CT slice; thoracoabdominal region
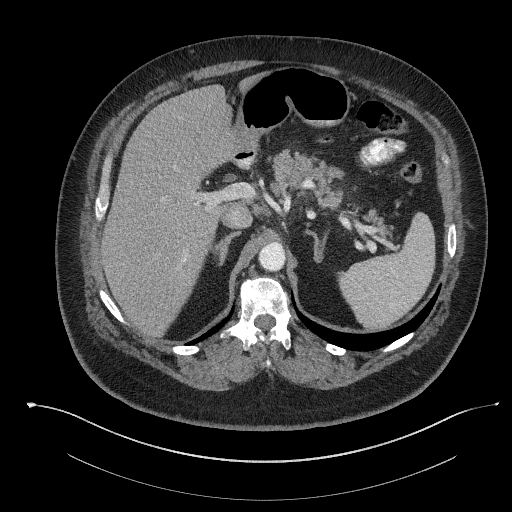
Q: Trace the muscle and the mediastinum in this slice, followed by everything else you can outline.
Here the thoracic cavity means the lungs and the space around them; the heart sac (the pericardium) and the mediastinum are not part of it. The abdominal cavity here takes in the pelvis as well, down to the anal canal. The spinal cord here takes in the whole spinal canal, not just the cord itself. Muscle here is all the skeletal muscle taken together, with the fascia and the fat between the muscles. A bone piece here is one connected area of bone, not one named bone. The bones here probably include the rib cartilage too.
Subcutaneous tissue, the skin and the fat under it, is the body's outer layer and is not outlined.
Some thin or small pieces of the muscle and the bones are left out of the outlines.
A: The muscle appears in 2 outlined pieces: piece 1: [[210,391],[230,390],[253,378],[267,368],[269,368],[277,375],[290,382],[310,388],[327,390],[346,386],[374,372],[379,371],[384,367],[409,355],[413,351],[420,348],[427,343],[436,335],[439,328],[444,323],[444,321],[449,315],[450,297],[452,290],[454,288],[455,282],[459,275],[459,262],[461,260],[464,252],[464,241],[465,240],[464,223],[465,220],[464,214],[462,211],[463,204],[461,193],[462,191],[462,176],[456,144],[448,130],[433,114],[424,110],[412,100],[392,89],[376,83],[370,79],[367,79],[350,72],[344,71],[333,66],[317,63],[300,62],[293,60],[244,59],[208,65],[198,69],[191,70],[174,79],[168,80],[148,91],[136,100],[127,104],[108,121],[96,138],[88,161],[86,168],[86,191],[84,194],[83,206],[80,211],[80,218],[79,219],[80,220],[79,253],[80,260],[82,263],[82,270],[84,278],[83,288],[87,319],[95,330],[96,334],[104,340],[109,342],[117,349],[129,354],[143,362],[148,363],[153,367],[189,386],[202,390],[209,390]] with holes at [[182,355],[196,353],[195,344],[218,331],[220,338],[239,338],[244,350],[272,340],[289,349],[290,300],[302,323],[334,355],[379,347],[388,352],[405,344],[430,311],[447,256],[453,257],[456,248],[455,224],[445,225],[437,188],[435,143],[426,129],[353,82],[283,64],[200,80],[143,111],[122,138],[114,166],[111,149],[101,168],[94,212],[99,222],[105,217],[100,256],[110,294],[98,292],[120,322],[171,343]] and at [[447,170],[449,168],[449,165],[450,164],[450,161],[449,160],[449,157],[447,155],[447,154],[444,151],[442,151],[441,152],[441,160],[442,161],[442,162],[443,163],[443,164],[444,165],[444,167],[445,168],[445,169],[446,169]] and at [[267,367],[268,367],[269,367],[270,366],[270,365],[271,364],[271,363],[271,362],[271,361],[270,360],[270,359],[269,358],[268,358],[267,358],[266,359],[266,360],[265,361],[265,362],[265,363],[266,364],[266,365],[266,366]]; piece 2: [[223,327],[226,327],[227,326],[229,326],[235,323],[238,319],[238,316],[239,315],[239,299],[238,298],[238,296],[237,297],[237,300],[236,301],[236,304],[235,305],[235,311],[234,312],[234,314],[228,321],[228,322],[226,323],[226,324]]. The mediastinum is outlined by [[291,301],[291,299],[293,297],[285,268],[284,249],[280,242],[275,241],[265,246],[241,270],[236,278],[235,289],[234,290],[234,298],[238,295],[239,284],[243,279],[247,277],[253,277],[256,275],[270,275],[277,278],[281,282],[285,290],[288,293]]. The spinal cord is outlined by [[264,331],[267,331],[272,326],[274,325],[274,323],[275,322],[275,320],[274,318],[272,316],[268,314],[265,314],[264,315],[259,315],[256,318],[255,318],[255,320],[254,321],[255,323],[255,325],[257,327],[260,328]]. The thoracic cavity appears in 2 outlined pieces: piece 1: [[351,350],[371,350],[382,347],[400,336],[414,330],[430,311],[437,297],[440,285],[439,284],[426,305],[409,321],[391,330],[378,332],[374,334],[350,334],[326,328],[304,316],[296,308],[294,305],[294,301],[292,299],[295,312],[302,323],[326,341]]; piece 2: [[184,344],[195,344],[199,341],[211,335],[213,333],[217,332],[225,324],[225,323],[227,322],[227,321],[233,314],[236,297],[234,299],[234,304],[231,308],[231,310],[227,317],[224,318],[220,322],[216,324],[215,326],[212,327],[209,330],[197,338]]. The torso is outlined by [[238,431],[325,427],[389,410],[438,377],[474,316],[488,243],[486,188],[475,140],[462,112],[437,82],[383,50],[339,38],[279,34],[223,36],[172,49],[138,66],[103,97],[69,155],[58,195],[54,261],[59,309],[78,362],[98,386],[137,410]]. The bones appear in 7 outlined pieces: piece 1: [[244,350],[248,350],[258,341],[267,344],[272,340],[277,340],[286,349],[291,346],[288,328],[292,317],[288,307],[289,298],[280,282],[273,277],[256,276],[242,281],[239,288],[239,319],[235,324],[223,328],[219,332],[220,338],[228,336],[239,338]], around a hole outlined by [[264,331],[267,331],[272,326],[274,325],[274,323],[275,322],[275,320],[274,318],[272,316],[268,314],[265,314],[264,315],[259,315],[256,318],[255,318],[255,320],[254,321],[255,323],[255,325],[257,327],[260,328]]; piece 2: [[99,222],[103,219],[105,211],[108,205],[108,196],[109,195],[109,183],[108,181],[109,180],[109,174],[111,170],[111,165],[112,164],[112,149],[107,153],[103,161],[103,164],[101,168],[101,176],[100,177],[98,194],[96,197],[94,205],[95,218]]; piece 3: [[124,324],[128,324],[128,323],[122,316],[118,308],[115,305],[115,304],[113,302],[113,301],[111,299],[107,292],[103,289],[99,289],[98,292],[99,293],[100,298],[105,305],[105,306],[109,310],[109,311],[114,317],[115,317],[120,322]]; piece 4: [[450,258],[451,258],[452,257],[453,257],[453,256],[454,255],[454,254],[455,253],[455,249],[456,248],[456,230],[455,229],[455,224],[453,222],[451,222],[450,223],[449,223],[447,225],[447,251],[448,252],[448,255],[449,256],[449,257]]; piece 5: [[383,352],[388,352],[389,351],[391,351],[405,344],[414,335],[414,331],[412,331],[400,337],[398,339],[395,340],[393,342],[383,347],[381,349],[381,350]]; piece 6: [[182,355],[190,355],[191,354],[194,354],[195,353],[196,353],[199,350],[199,347],[197,345],[174,345],[173,346],[172,346],[172,347],[171,348],[171,349],[172,350],[172,351],[174,353],[176,353],[177,354],[181,354]]; piece 7: [[334,355],[342,355],[343,354],[344,354],[346,352],[346,351],[347,350],[346,349],[345,349],[342,347],[340,347],[339,346],[337,346],[334,344],[332,344],[331,343],[329,343],[328,342],[325,342],[325,349],[327,351],[328,351],[330,353],[331,353]]. The abdominal cavity is outlined by [[173,345],[227,316],[240,270],[275,240],[285,249],[295,305],[310,319],[338,331],[374,333],[413,317],[442,279],[447,259],[435,143],[426,129],[403,109],[353,82],[283,64],[200,80],[143,111],[122,138],[112,168],[101,268],[128,321],[148,337]].